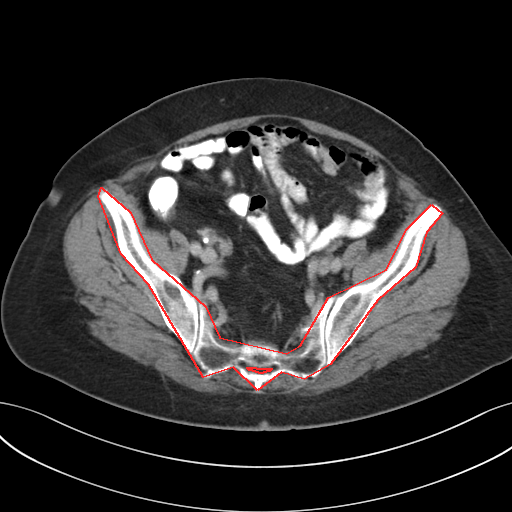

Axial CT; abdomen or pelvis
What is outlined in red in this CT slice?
red: bones.
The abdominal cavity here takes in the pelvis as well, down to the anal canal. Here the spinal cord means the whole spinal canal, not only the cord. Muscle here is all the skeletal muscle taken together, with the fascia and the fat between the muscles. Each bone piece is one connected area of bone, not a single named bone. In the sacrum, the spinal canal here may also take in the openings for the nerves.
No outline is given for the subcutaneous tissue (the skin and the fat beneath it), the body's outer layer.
{"bones":[{"outer":[[101,187],[130,212],[151,259],[205,306],[219,337],[286,353],[300,345],[328,297],[386,269],[407,228],[431,204],[442,213],[426,232],[415,267],[377,300],[330,364],[304,379],[281,372],[257,390],[233,367],[203,377],[148,284],[121,254],[98,196]],"hole":[[247,367],[255,367],[256,368],[271,368],[271,369],[269,371],[266,371],[265,372],[263,372],[262,373],[259,373],[258,372],[256,372],[255,371],[253,371],[252,370],[249,370],[247,368]]}],"muscle":[{"outer":[[265,113],[289,114],[315,120],[347,132],[373,146],[391,160],[401,171],[417,182],[424,194],[439,201],[447,210],[452,221],[464,235],[470,263],[470,274],[467,282],[458,295],[455,312],[442,329],[442,335],[438,340],[430,344],[425,349],[394,360],[375,371],[371,371],[366,376],[361,376],[340,387],[314,395],[260,394],[248,392],[238,392],[227,395],[212,394],[194,390],[174,381],[167,376],[161,375],[152,367],[142,364],[110,348],[90,333],[86,323],[84,311],[80,304],[74,299],[75,287],[64,264],[62,251],[64,232],[79,202],[93,186],[100,184],[106,179],[116,177],[121,168],[127,163],[140,157],[152,154],[163,146],[193,131],[234,118]],"hole":[[263,118],[349,142],[395,174],[404,218],[380,247],[363,237],[346,246],[352,286],[386,269],[431,204],[442,213],[415,267],[330,364],[257,390],[233,367],[203,377],[121,254],[98,191],[179,277],[190,242],[146,224],[138,184],[170,148]]}],"spinal_cord":[[[298,340],[299,340],[300,343],[299,344],[299,345],[298,346],[297,346],[293,350],[292,350],[291,351],[288,351],[287,352],[284,351],[284,350],[283,349],[283,347],[284,346],[286,346],[289,344],[291,344],[292,343],[293,343],[294,342],[295,342]],[[247,367],[255,367],[256,368],[271,368],[271,369],[269,371],[266,371],[265,372],[263,372],[262,373],[259,373],[258,372],[256,372],[255,371],[253,371],[252,370],[249,370],[247,368]]],"abdominal_cavity":[[[263,118],[295,120],[381,159],[396,176],[404,218],[380,247],[370,250],[363,237],[346,246],[341,264],[351,285],[328,296],[299,338],[282,347],[227,342],[215,332],[206,306],[180,278],[188,238],[174,227],[167,232],[148,226],[135,195],[170,148]]],"torso":[[[258,76],[306,81],[362,100],[408,129],[442,161],[511,253],[511,359],[431,397],[371,417],[306,429],[242,431],[186,425],[132,412],[36,372],[16,358],[6,343],[0,325],[0,298],[8,270],[31,219],[65,161],[101,131],[160,97],[211,81]]]}